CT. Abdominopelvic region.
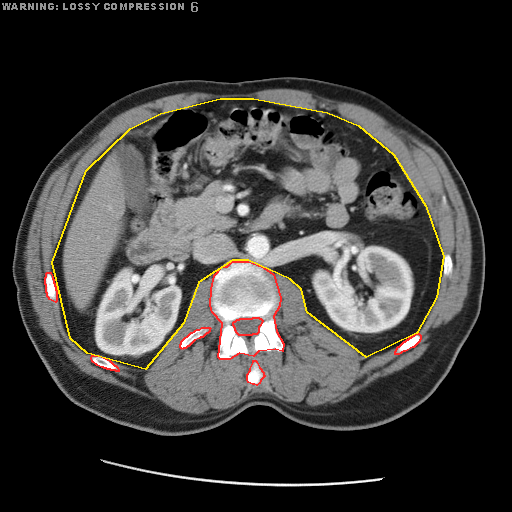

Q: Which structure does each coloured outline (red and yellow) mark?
A: red: bones; yellow: abdominal cavity.
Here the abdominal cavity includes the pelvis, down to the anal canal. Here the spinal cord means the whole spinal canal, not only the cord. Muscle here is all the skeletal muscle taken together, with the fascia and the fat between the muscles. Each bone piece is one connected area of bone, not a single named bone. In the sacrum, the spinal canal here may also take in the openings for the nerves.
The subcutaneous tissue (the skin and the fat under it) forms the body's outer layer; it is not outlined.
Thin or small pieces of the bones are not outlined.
Outlines (x, y in pixels):
bones 1: [[232,261],[248,261],[263,267],[273,274],[280,297],[279,306],[273,316],[276,331],[283,343],[282,351],[275,349],[258,351],[253,356],[239,353],[229,359],[220,359],[218,357],[222,323],[212,312],[210,305],[211,289],[214,275],[222,266],[227,266]], around a hole outlined by [[253,317],[258,317],[259,318],[260,318],[262,320],[260,325],[258,327],[258,332],[256,334],[252,334],[251,335],[239,335],[236,332],[236,331],[235,330],[235,328],[233,325],[233,322],[234,321],[235,321],[237,319],[239,319],[240,318],[252,318]]
bones 2: [[202,327],[209,327],[210,328],[209,329],[209,331],[207,333],[206,333],[202,337],[200,337],[199,338],[194,340],[188,346],[187,346],[185,348],[183,348],[182,349],[180,347],[180,344],[181,343],[181,341],[191,332],[192,332],[197,329],[199,329]]
bones 3: [[253,360],[255,360],[256,361],[259,367],[263,372],[263,374],[264,375],[264,376],[260,380],[259,383],[256,385],[254,384],[252,384],[248,382],[247,380],[247,374],[250,370],[250,368],[253,362]]
bones 4: [[417,333],[418,333],[420,335],[420,339],[419,340],[419,341],[413,347],[412,347],[405,351],[403,351],[398,354],[395,354],[395,351],[398,346],[399,346],[404,341],[405,341],[407,339],[408,339],[410,337],[411,337],[413,335],[414,335]]
bones 5: [[47,272],[50,272],[52,276],[52,278],[53,279],[53,282],[54,283],[54,285],[55,286],[55,289],[56,290],[56,301],[55,302],[49,299],[49,298],[47,296],[47,293],[46,292],[46,285],[45,284],[45,277],[46,276],[46,273]]
bones 6: [[92,355],[99,355],[109,360],[114,365],[115,365],[117,367],[118,369],[118,371],[116,371],[115,370],[111,370],[110,369],[107,369],[106,368],[104,368],[103,367],[101,367],[97,365],[92,361],[91,359],[91,357]]
abdominal cavity: [[220,98],[253,98],[327,112],[358,125],[393,154],[425,205],[443,256],[436,297],[416,333],[366,357],[307,312],[301,289],[290,279],[248,260],[232,260],[198,282],[183,323],[145,369],[87,353],[70,338],[52,262],[86,170],[130,128],[160,113]]
muscle: [[277,88],[307,91],[314,96],[361,105],[417,137],[439,154],[461,196],[471,235],[470,277],[460,311],[433,330],[430,344],[416,360],[332,404],[310,406],[304,401],[287,402],[269,393],[256,392],[235,406],[220,410],[211,408],[204,413],[194,414],[176,410],[158,399],[151,399],[80,371],[66,356],[60,344],[40,326],[25,271],[24,253],[30,224],[39,196],[51,173],[114,117],[138,105],[179,93],[244,94]], around holes outlined by [[220,98],[327,112],[393,154],[453,264],[449,277],[441,272],[413,347],[361,355],[307,312],[301,289],[280,273],[273,316],[282,351],[218,357],[212,275],[193,289],[183,323],[145,369],[101,367],[70,338],[45,277],[86,170],[130,128]] and by [[202,327],[209,327],[210,328],[209,329],[209,331],[207,333],[206,333],[202,337],[200,337],[199,338],[194,340],[188,346],[187,346],[185,348],[183,348],[182,349],[180,347],[180,344],[181,343],[181,341],[191,332],[192,332],[197,329],[199,329]] and by [[253,360],[255,360],[256,361],[259,367],[263,372],[263,374],[264,375],[264,376],[260,380],[259,383],[256,385],[254,384],[252,384],[248,382],[247,380],[247,374],[250,370],[250,368],[253,362]]
spinal cord: [[253,317],[258,317],[259,318],[260,318],[262,320],[260,325],[258,327],[258,332],[256,334],[252,334],[251,335],[239,335],[236,332],[236,331],[235,330],[235,328],[233,325],[233,322],[234,321],[235,321],[237,319],[239,319],[240,318],[252,318]]
torso: [[280,76],[348,85],[379,97],[437,140],[462,176],[482,226],[485,279],[478,318],[451,369],[412,410],[355,430],[310,427],[270,406],[252,405],[214,428],[170,436],[76,405],[27,335],[12,276],[17,230],[40,173],[94,115],[128,93],[173,80]]